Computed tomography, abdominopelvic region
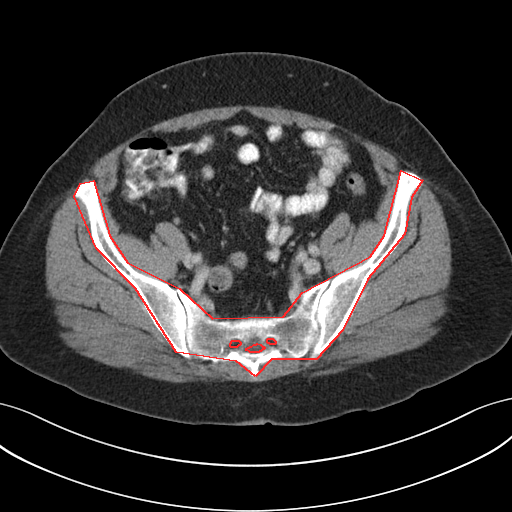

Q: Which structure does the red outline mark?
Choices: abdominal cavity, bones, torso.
A: red: bones.
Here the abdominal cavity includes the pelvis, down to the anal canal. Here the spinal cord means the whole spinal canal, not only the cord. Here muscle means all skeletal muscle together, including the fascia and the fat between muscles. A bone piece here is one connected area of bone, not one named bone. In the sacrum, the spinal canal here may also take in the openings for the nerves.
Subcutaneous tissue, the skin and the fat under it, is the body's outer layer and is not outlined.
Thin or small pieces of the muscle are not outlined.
Outlined structures:
bones: [[401,170],[422,180],[411,197],[404,234],[367,279],[342,330],[316,359],[271,359],[255,376],[236,361],[176,352],[135,288],[96,248],[74,196],[80,183],[93,180],[109,235],[127,262],[179,288],[212,318],[283,316],[302,292],[370,256],[384,235]]; inner edges: [[257,343],[260,344],[262,346],[263,346],[264,347],[264,348],[263,349],[262,349],[260,351],[259,351],[258,352],[250,352],[249,351],[246,350],[246,348],[247,348],[248,347],[249,347],[250,346],[251,346],[254,344],[256,344]], then [[232,340],[238,340],[240,342],[240,344],[239,345],[238,345],[236,347],[231,347],[230,346],[230,343],[231,342],[231,341]], then [[268,338],[269,338],[270,338],[271,338],[272,338],[273,339],[274,340],[275,341],[275,342],[275,343],[274,344],[273,344],[272,344],[271,344],[270,344],[269,343],[268,343],[267,342],[267,341],[267,340],[267,339]]
abdominal cavity: [[241,110],[267,122],[326,130],[363,145],[385,189],[373,218],[357,226],[340,211],[322,230],[320,254],[328,278],[302,291],[288,313],[217,319],[174,287],[188,246],[186,234],[161,221],[147,243],[117,221],[110,199],[118,156],[131,141],[196,129]]
torso: [[232,51],[289,53],[335,65],[356,75],[385,98],[403,105],[432,133],[470,183],[511,251],[511,337],[497,353],[441,383],[381,409],[354,411],[305,425],[219,425],[160,419],[87,398],[31,372],[0,350],[0,246],[46,169],[127,86],[169,65]]
spinal cord 1: [[257,343],[260,344],[262,346],[263,346],[264,347],[264,348],[263,349],[262,349],[260,351],[259,351],[258,352],[250,352],[249,351],[246,350],[246,348],[247,348],[248,347],[249,347],[250,346],[251,346],[254,344],[256,344]]
spinal cord 2: [[232,340],[238,340],[240,342],[240,344],[239,345],[238,345],[236,347],[231,347],[230,346],[230,343],[231,342],[231,341]]
spinal cord 3: [[268,338],[269,338],[270,338],[271,338],[272,338],[273,339],[274,340],[275,341],[275,342],[275,343],[274,344],[273,344],[272,344],[271,344],[270,344],[269,343],[268,343],[267,342],[267,341],[267,340],[267,339]]
muscle: [[243,105],[293,109],[340,124],[417,173],[398,172],[388,221],[369,256],[329,278],[321,254],[323,230],[340,212],[357,227],[373,219],[386,189],[363,144],[326,129],[267,121],[245,109],[196,128],[131,140],[117,156],[110,208],[122,227],[147,244],[161,222],[185,234],[187,246],[173,286],[138,271],[122,255],[93,179],[80,182],[73,196],[83,207],[95,248],[134,288],[169,346],[186,359],[239,363],[252,377],[271,360],[307,355],[316,360],[345,327],[370,276],[401,242],[412,197],[423,184],[419,175],[441,204],[451,247],[448,313],[427,343],[332,374],[175,383],[96,361],[59,337],[47,301],[46,242],[51,219],[65,197],[98,158],[141,129],[204,108]]